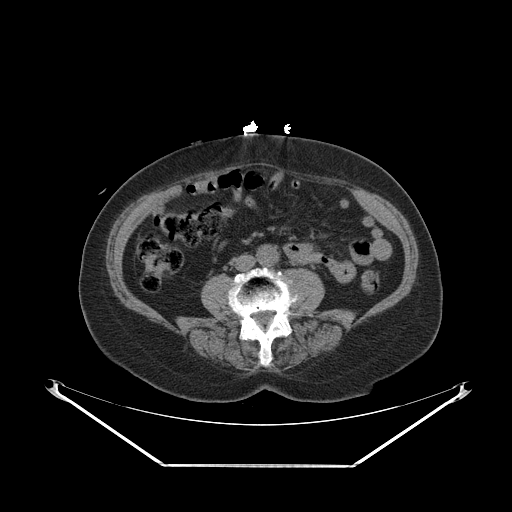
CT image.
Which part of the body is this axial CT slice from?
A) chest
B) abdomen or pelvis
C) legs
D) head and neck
Answer: B) abdomen or pelvis
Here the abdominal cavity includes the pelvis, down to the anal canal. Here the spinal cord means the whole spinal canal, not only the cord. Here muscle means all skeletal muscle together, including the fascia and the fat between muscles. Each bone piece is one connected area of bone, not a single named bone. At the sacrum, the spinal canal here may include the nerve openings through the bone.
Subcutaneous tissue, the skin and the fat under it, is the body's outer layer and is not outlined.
Outlined structures:
torso: [[261,132],[330,142],[371,159],[409,194],[429,230],[443,287],[439,330],[421,357],[379,382],[367,394],[331,403],[295,401],[268,390],[236,402],[189,400],[162,392],[110,361],[88,331],[78,296],[82,250],[96,216],[115,190],[143,166],[192,141]]
abdominal cavity: [[252,167],[350,192],[401,244],[404,264],[397,287],[360,315],[342,307],[320,310],[326,289],[316,272],[257,266],[233,277],[222,272],[205,281],[199,296],[210,316],[177,315],[171,321],[138,298],[123,273],[124,250],[135,229],[190,183]]
spinal cord: [[263,311],[272,311],[273,312],[274,312],[274,314],[272,316],[272,317],[271,318],[270,321],[266,325],[265,325],[264,326],[263,325],[261,325],[260,324],[259,324],[256,321],[256,320],[252,316],[252,315],[253,314],[255,314],[258,312],[262,312]]
muscle: [[247,162],[264,162],[278,166],[286,170],[293,170],[302,174],[316,174],[322,176],[325,175],[330,177],[336,177],[346,180],[370,192],[376,193],[388,200],[402,213],[408,221],[416,240],[419,254],[418,265],[416,270],[416,278],[410,292],[393,306],[377,315],[370,317],[368,321],[365,321],[352,328],[347,333],[344,333],[339,344],[333,351],[327,354],[316,365],[305,371],[295,373],[281,373],[269,367],[261,367],[253,373],[244,374],[234,373],[218,367],[202,358],[194,350],[188,341],[181,335],[127,308],[120,302],[119,299],[114,294],[110,284],[105,264],[107,239],[115,220],[125,207],[143,194],[149,193],[185,176],[206,170],[219,169],[229,165],[235,165]], around a hole outlined by [[252,167],[344,188],[398,238],[404,260],[397,287],[360,315],[318,309],[320,276],[286,269],[297,294],[291,332],[272,341],[268,366],[257,340],[239,338],[231,276],[203,284],[210,316],[171,321],[138,298],[123,273],[130,236],[157,206],[192,182]]
bones: [[257,267],[281,271],[292,280],[291,288],[297,294],[296,300],[289,307],[292,313],[288,316],[291,332],[287,336],[276,337],[272,341],[273,357],[268,366],[263,366],[259,361],[260,344],[257,340],[239,338],[240,317],[228,304],[227,297],[235,275]]; inner edge: [[263,311],[272,311],[273,312],[274,312],[274,314],[272,316],[272,317],[271,318],[270,321],[266,325],[265,325],[264,326],[263,325],[261,325],[260,324],[259,324],[256,321],[256,320],[252,316],[252,315],[253,314],[255,314],[258,312],[262,312]]